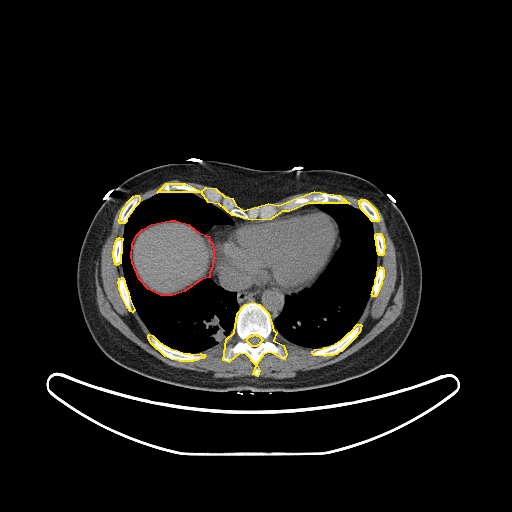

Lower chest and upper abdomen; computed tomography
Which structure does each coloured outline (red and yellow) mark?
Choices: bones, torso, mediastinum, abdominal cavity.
red: abdominal cavity; yellow: bones.
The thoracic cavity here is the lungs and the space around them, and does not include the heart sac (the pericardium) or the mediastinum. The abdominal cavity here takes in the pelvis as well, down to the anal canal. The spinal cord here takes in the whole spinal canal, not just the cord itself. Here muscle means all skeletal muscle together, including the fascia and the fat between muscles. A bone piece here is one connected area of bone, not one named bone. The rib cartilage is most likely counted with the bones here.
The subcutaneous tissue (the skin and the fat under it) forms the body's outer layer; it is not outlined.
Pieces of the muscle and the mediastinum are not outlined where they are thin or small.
{"abdominal_cavity":[[[170,220],[175,220],[188,224],[198,232],[209,236],[208,238],[211,242],[213,249],[213,258],[211,269],[209,272],[209,277],[201,279],[184,291],[172,295],[160,295],[148,289],[139,279],[132,262],[131,256],[132,244],[136,235],[142,229],[151,224]]],"bones":[{"outer":[[252,302],[259,304],[268,313],[273,330],[276,332],[273,340],[283,345],[286,354],[284,359],[270,352],[263,354],[256,364],[259,370],[257,376],[253,374],[256,365],[246,354],[239,353],[228,362],[223,360],[226,339],[234,332],[237,313],[245,304]],"hole":[[254,334],[255,334],[256,335],[258,335],[262,339],[262,340],[259,343],[259,344],[258,345],[257,345],[256,346],[252,346],[246,340],[247,339],[247,338],[249,336],[250,336],[251,335],[253,335]]},[[166,183],[185,183],[201,191],[206,187],[215,188],[224,196],[232,198],[235,205],[244,210],[268,203],[278,205],[314,191],[339,195],[349,203],[308,203],[289,211],[282,211],[270,219],[252,220],[232,215],[219,204],[208,202],[201,192],[157,192]],[[149,334],[152,335],[159,342],[171,349],[177,350],[184,353],[189,353],[190,354],[200,353],[201,354],[204,354],[205,356],[203,358],[201,358],[197,360],[193,360],[192,361],[180,361],[179,360],[171,359],[165,356],[151,343],[148,338],[148,335]],[[357,324],[360,324],[361,325],[359,332],[356,335],[356,336],[341,351],[338,352],[336,354],[333,354],[332,355],[325,355],[324,356],[314,355],[312,353],[312,351],[315,349],[323,348],[324,347],[326,347],[336,343],[342,339],[349,332],[350,332]],[[135,195],[138,195],[139,197],[139,201],[138,203],[133,208],[133,209],[127,217],[126,219],[126,221],[124,223],[120,223],[119,222],[119,219],[120,218],[120,215],[121,214],[121,212],[123,208],[125,206],[127,202],[133,196]],[[361,199],[364,199],[365,200],[366,200],[375,209],[375,210],[377,213],[377,215],[378,216],[378,218],[379,219],[378,220],[378,221],[372,221],[370,219],[370,218],[361,209],[361,208],[360,207],[360,205],[359,204],[359,200],[360,200]],[[121,277],[122,277],[124,280],[124,283],[125,284],[125,286],[126,287],[126,289],[127,290],[130,301],[134,309],[134,310],[132,312],[130,311],[127,307],[121,295],[121,293],[119,289],[119,284],[118,283],[118,281],[119,280],[119,278]],[[380,266],[382,267],[383,269],[383,277],[381,281],[381,284],[379,287],[379,289],[376,295],[375,296],[372,296],[371,294],[372,293],[372,291],[373,290],[373,287],[375,283],[375,279],[377,275],[377,271],[378,270],[378,267]],[[119,237],[122,238],[122,240],[121,241],[121,253],[120,254],[120,263],[117,265],[116,264],[115,264],[115,262],[114,261],[114,258],[113,257],[113,251],[114,250],[114,245],[115,244],[115,242],[116,241],[117,238],[118,238]],[[376,233],[380,233],[381,234],[381,235],[382,236],[382,237],[383,238],[383,244],[384,245],[384,248],[383,249],[383,254],[382,255],[379,255],[378,254],[378,252],[377,251],[377,246],[376,245],[376,240],[375,239],[375,234]]],"muscle":[[[367,200],[381,212],[396,258],[404,271],[401,314],[372,340],[337,362],[303,371],[292,379],[258,376],[257,364],[263,355],[270,353],[280,360],[287,357],[284,345],[274,340],[277,333],[292,344],[314,349],[311,351],[314,356],[324,357],[341,352],[360,332],[362,325],[357,322],[370,296],[377,295],[384,277],[383,267],[377,265],[378,255],[384,254],[384,238],[380,232],[375,233],[373,227],[373,222],[380,219]],[[126,201],[118,219],[120,224],[124,224],[122,237],[116,238],[112,257],[114,264],[120,264],[122,268],[123,277],[119,277],[117,281],[120,295],[128,310],[132,313],[135,310],[149,331],[147,338],[150,343],[171,360],[192,362],[206,356],[200,352],[225,341],[222,360],[228,363],[239,354],[246,355],[255,365],[252,373],[254,376],[220,378],[169,365],[126,337],[100,313],[96,302],[96,260],[101,254],[116,212]],[[170,180],[179,180],[184,182],[194,182],[210,186],[206,186],[201,190],[199,188],[189,185],[185,182],[173,182],[172,183],[166,182],[156,190],[157,193],[155,193],[151,196],[140,201],[140,197],[137,194],[152,189],[163,182],[166,182]],[[336,194],[344,194],[345,195],[350,195],[351,196],[353,196],[354,197],[356,197],[357,198],[363,198],[361,198],[358,200],[358,204],[359,205],[359,207],[360,208],[358,208],[357,207],[350,204],[349,201],[343,196],[342,196],[339,194]],[[300,193],[306,193],[304,194],[301,194],[300,195],[297,195],[296,196],[294,196],[278,204],[276,203],[273,203],[273,202],[276,202],[277,201],[279,201],[283,198],[285,198],[286,197],[288,197],[289,196],[291,196],[295,194],[299,194]]],"mediastinum":[[[213,263],[221,268],[238,272],[243,277],[263,289],[290,294],[285,296],[281,312],[272,321],[269,313],[259,303],[255,301],[247,302],[239,308],[239,304],[237,301],[237,294],[234,291],[227,290],[218,285],[210,278],[210,272],[212,269]],[[225,212],[229,213],[232,216],[244,220],[251,220],[252,221],[257,219],[260,220],[256,220],[253,222],[241,222],[237,223],[228,228],[225,228],[215,233],[210,239],[209,238],[210,236],[206,233],[212,226],[216,224],[231,224],[233,222],[232,219]],[[308,204],[317,204],[316,205],[317,207],[320,210],[321,210],[319,210],[315,208],[312,208],[311,209],[307,209],[306,210],[303,210],[302,211],[292,212],[285,215],[282,215],[279,217],[274,217],[277,216],[278,214],[282,212],[289,212]]],"torso":[[[196,160],[217,160],[261,170],[337,170],[364,178],[387,194],[412,232],[422,269],[417,316],[395,355],[376,369],[341,383],[272,393],[214,392],[180,387],[141,375],[109,358],[87,328],[77,293],[77,263],[88,227],[108,196],[129,177],[163,164]]],"thoracic_cavity":[[[170,191],[197,195],[232,221],[216,223],[205,233],[183,221],[158,221],[138,231],[131,244],[133,269],[154,294],[172,296],[206,278],[236,294],[233,332],[221,343],[196,353],[171,348],[150,332],[133,306],[121,264],[124,227],[134,208],[155,194]],[[318,204],[349,204],[360,209],[369,218],[374,232],[377,270],[371,293],[352,329],[332,344],[312,348],[300,346],[284,339],[274,330],[273,322],[282,312],[286,296],[297,294],[309,288],[325,270],[341,244],[342,238],[339,224],[329,213],[320,209]]],"spinal_cord":[[[254,334],[255,334],[256,335],[258,335],[262,339],[262,340],[259,343],[259,344],[258,345],[257,345],[256,346],[252,346],[246,340],[247,339],[247,338],[249,336],[250,336],[251,335],[253,335]]],"pericardium":[[[312,209],[325,212],[335,220],[339,232],[338,233],[339,242],[330,261],[316,280],[309,287],[304,288],[297,293],[287,293],[279,290],[263,288],[243,276],[238,271],[221,267],[213,262],[214,249],[211,239],[215,234],[237,224],[271,220],[292,213]]]}